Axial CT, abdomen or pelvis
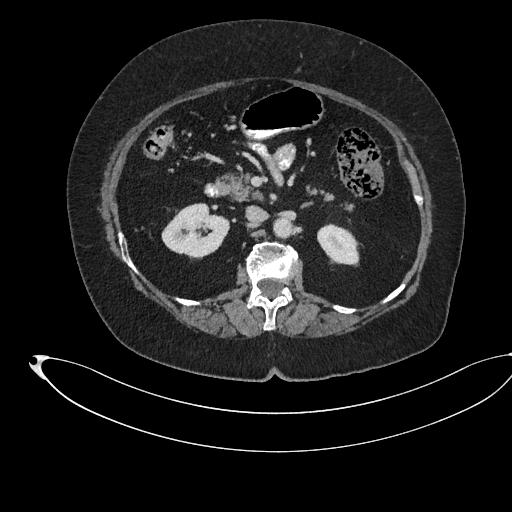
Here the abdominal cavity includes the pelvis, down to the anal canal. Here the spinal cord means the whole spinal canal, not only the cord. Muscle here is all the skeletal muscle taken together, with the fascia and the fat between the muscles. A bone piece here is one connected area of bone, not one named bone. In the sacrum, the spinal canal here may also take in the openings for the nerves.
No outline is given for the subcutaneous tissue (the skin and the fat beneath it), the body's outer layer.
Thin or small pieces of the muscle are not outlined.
Outlined structures:
bones 1: 262,241 277,241 283,244 291,245 298,254 297,271 288,283 292,300 288,304 277,309 275,313 275,329 269,331 263,329 266,318 264,309 261,306 253,306 248,308 246,305 251,285 245,268 245,258 252,246; inner edge: 269,278 271,279 279,279 282,282 283,284 283,286 280,290 280,293 278,295 277,295 273,298 269,298 267,296 264,295 262,293 262,291 258,285 258,283 259,281 263,279 268,279
bones 2: 119,229 120,229 123,233 123,235 127,242 127,247 128,248 128,251 129,252 130,257 140,272 140,275 136,274 133,271 133,270 123,261 122,259 122,257 121,256 121,249 118,242 118,237 117,236 117,231
bones 3: 410,165 412,165 414,168 414,170 416,174 416,177 418,181 418,184 423,197 423,205 422,207 420,208 418,207 413,196 413,189 414,188 414,184 412,182 412,178 411,177 410,172 408,170 408,168
bones 4: 403,281 405,281 406,282 406,284 405,285 405,287 402,290 402,291 397,296 396,296 393,299 392,299 390,301 389,301 386,303 382,303 381,302 382,299 383,299 389,293 390,293 394,289 395,289
bones 5: 173,296 179,296 180,297 183,297 184,298 187,298 188,299 192,299 193,300 197,300 198,301 200,301 201,304 200,305 190,305 189,306 188,306 187,305 184,305 183,304 181,304 177,301 176,301 173,298
bones 6: 333,304 338,304 339,305 343,305 344,306 348,306 349,307 355,307 356,308 357,308 357,310 356,311 355,311 354,312 352,312 351,313 340,313 339,312 338,312 337,311 336,311 331,307 331,306
muscle: 256,76 287,77 315,83 361,101 400,128 423,168 431,194 432,234 417,291 404,304 348,333 308,338 288,337 274,331 270,332 276,329 278,309 293,300 289,283 298,271 299,259 302,262 304,290 331,302 330,307 336,312 351,314 358,308 380,300 382,304 386,304 406,287 407,282 403,280 412,267 420,240 419,209 424,205 424,197 412,164 407,168 412,187 399,161 390,132 375,118 323,93 283,80 256,79 177,103 162,112 139,134 127,152 117,182 115,197 120,228 116,231 116,236 122,261 136,275 140,276 141,272 157,288 172,295 179,304 188,307 200,306 202,304 200,300 234,288 237,285 237,266 244,262 250,285 245,305 248,309 253,307 263,309 265,318 262,329 265,331 262,334 246,339 211,337 179,322 163,307 134,287 126,268 109,248 105,238 98,209 98,197 106,160 125,133 150,111 189,90 219,81
abdominal cavity: 256,80 283,81 323,94 375,119 391,135 419,211 420,234 411,267 383,298 356,307 306,291 298,252 291,244 277,240 254,243 236,266 236,285 199,300 160,289 133,261 121,229 116,197 130,148 173,106
torso: 249,18 317,23 369,40 413,69 443,108 461,159 465,224 447,321 426,350 386,366 320,380 287,381 276,375 265,381 223,379 135,353 96,311 75,259 66,207 68,163 81,124 116,73 149,45 192,27
spinal cord: 269,278 271,279 279,279 282,282 283,284 283,286 280,290 280,293 278,295 277,295 273,298 269,298 267,296 264,295 262,293 262,291 258,285 258,283 259,281 263,279 268,279